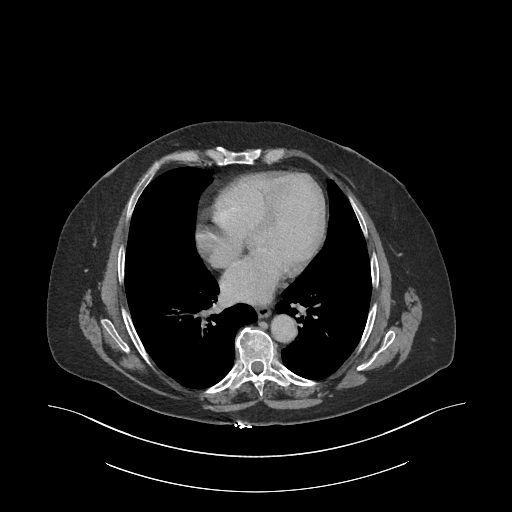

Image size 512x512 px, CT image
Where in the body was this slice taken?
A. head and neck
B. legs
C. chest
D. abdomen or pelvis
Answer: C. chest
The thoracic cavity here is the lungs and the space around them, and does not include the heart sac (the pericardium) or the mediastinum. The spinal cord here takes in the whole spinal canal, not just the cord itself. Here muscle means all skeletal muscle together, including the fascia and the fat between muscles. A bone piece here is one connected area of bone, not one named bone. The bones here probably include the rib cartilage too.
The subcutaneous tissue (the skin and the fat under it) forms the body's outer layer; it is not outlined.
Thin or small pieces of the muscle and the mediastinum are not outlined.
{"spinal_cord":[[[253,362],[261,362],[262,363],[262,365],[263,366],[263,367],[262,368],[262,370],[260,372],[259,372],[258,373],[256,373],[255,372],[254,372],[253,371],[253,370],[252,369],[252,363]]],"thoracic_cavity":[[[182,167],[205,169],[212,174],[198,198],[195,240],[199,255],[218,283],[219,301],[224,308],[248,304],[256,313],[255,321],[243,325],[235,334],[235,358],[229,370],[203,389],[183,386],[150,357],[128,310],[124,286],[126,242],[136,204],[155,177]],[[329,180],[336,182],[346,195],[365,239],[369,254],[372,287],[370,306],[355,348],[333,373],[316,380],[294,372],[282,362],[278,350],[290,344],[297,337],[298,324],[287,313],[277,312],[275,306],[282,292],[306,269],[324,244],[330,215],[327,188]]],"torso":[[[207,120],[288,123],[360,153],[405,186],[434,232],[449,278],[456,337],[454,354],[447,367],[399,393],[343,415],[262,426],[212,424],[162,414],[72,374],[56,363],[47,340],[47,293],[58,239],[71,210],[101,176],[138,148],[173,129]]],"bones":[{"outer":[[246,325],[257,327],[270,336],[277,346],[281,362],[288,369],[318,383],[313,386],[293,383],[282,386],[274,381],[265,380],[260,396],[254,384],[246,381],[235,389],[226,388],[204,394],[204,389],[222,379],[232,367],[237,355],[235,337],[237,332]],"hole":[[253,362],[261,362],[262,363],[262,365],[263,366],[263,367],[262,368],[262,370],[260,372],[259,372],[258,373],[256,373],[255,372],[254,372],[253,371],[253,370],[252,369],[252,363]]},[[217,145],[222,146],[231,151],[242,151],[248,149],[261,148],[265,152],[274,148],[283,148],[286,154],[285,157],[271,163],[266,163],[261,157],[253,164],[231,163],[226,165],[217,165],[213,162],[209,163],[208,158],[204,154],[206,149],[213,148]],[[185,150],[192,150],[196,152],[201,159],[200,162],[201,163],[186,163],[177,160],[172,160],[163,164],[140,194],[135,204],[130,219],[128,221],[126,220],[126,204],[136,184],[151,164],[155,160],[166,154],[169,154],[174,152],[180,152]],[[122,306],[124,306],[125,307],[130,315],[134,328],[152,362],[152,364],[153,365],[152,367],[149,366],[140,355],[135,346],[133,344],[128,334],[128,332],[126,329],[126,327],[123,321],[123,318],[121,314],[121,310],[120,309]],[[374,301],[376,301],[377,302],[377,308],[376,309],[376,315],[375,316],[373,327],[364,346],[362,348],[360,352],[358,353],[356,351],[356,347],[360,340],[361,335],[365,327],[365,324],[367,320],[367,316],[368,315],[370,307],[372,303]],[[390,329],[391,330],[393,330],[395,332],[395,337],[393,341],[376,357],[376,358],[373,361],[373,362],[367,368],[363,370],[357,370],[356,368],[357,366],[361,363],[367,361],[371,357],[372,354],[378,349],[378,348],[381,345],[382,340],[386,332]],[[104,318],[107,318],[111,321],[111,322],[115,327],[116,330],[118,332],[119,335],[122,338],[122,339],[129,346],[129,352],[128,353],[126,353],[122,350],[121,350],[121,349],[117,345],[115,341],[103,327],[101,323],[101,320]],[[373,250],[374,250],[376,252],[376,255],[377,256],[377,258],[378,259],[378,265],[379,266],[379,284],[378,285],[378,286],[377,287],[373,287],[372,286],[372,283],[371,282],[371,269],[370,268],[370,254],[371,253],[371,252]],[[348,194],[352,195],[355,202],[357,204],[357,205],[359,207],[363,214],[363,216],[365,219],[366,225],[367,226],[367,236],[366,238],[365,238],[363,234],[363,232],[359,225],[359,223],[356,217],[356,215],[353,210],[353,208],[347,196]],[[120,244],[124,244],[124,245],[125,246],[125,262],[124,263],[124,276],[123,277],[123,283],[122,284],[121,284],[119,282],[119,281],[118,280],[118,274],[117,273],[117,253],[118,252],[118,248],[119,247],[119,246],[120,245]]],"muscle":[{"outer":[[259,147],[285,147],[301,149],[350,178],[379,233],[393,298],[412,287],[420,299],[422,316],[405,360],[362,385],[305,408],[276,409],[260,401],[235,411],[209,412],[136,383],[104,361],[79,326],[83,296],[103,277],[121,209],[134,184],[152,160],[155,158],[165,154],[155,159],[154,160],[150,164],[150,165],[135,184],[125,204],[126,241],[116,253],[117,280],[123,284],[127,305],[119,309],[122,321],[149,367],[154,365],[152,360],[183,387],[203,390],[204,395],[235,390],[246,382],[253,384],[260,397],[265,381],[282,387],[313,387],[333,374],[355,349],[361,352],[377,315],[378,302],[371,304],[371,295],[372,288],[380,284],[379,259],[374,249],[368,251],[367,222],[353,195],[346,194],[311,161],[286,157],[287,153],[283,147],[274,147],[265,151]],"holes":[[[390,329],[391,330],[393,330],[395,332],[395,337],[393,341],[376,357],[376,358],[373,361],[373,362],[367,368],[363,370],[357,370],[356,368],[357,366],[361,363],[367,361],[371,357],[372,354],[378,349],[378,348],[381,345],[382,340],[386,332]],[[104,318],[107,318],[111,321],[111,322],[115,327],[116,330],[118,332],[119,335],[122,338],[122,339],[129,346],[129,352],[128,353],[126,353],[122,350],[121,350],[121,349],[117,345],[115,341],[103,327],[101,323],[101,320]]]},[[214,145],[216,145],[215,145],[213,147],[208,147],[206,148],[203,152],[203,154],[205,156],[205,157],[207,158],[208,160],[208,163],[202,163],[201,162],[202,161],[202,159],[200,155],[196,151],[192,149],[185,149],[184,150],[181,150],[180,151],[174,151],[173,152],[170,152],[169,153],[166,153],[168,153],[169,152],[172,152],[178,149],[191,149],[192,148],[203,148],[204,147],[207,147],[208,146],[213,146]]],"mediastinum":[[[204,261],[219,276],[220,282],[227,285],[242,300],[265,304],[283,290],[275,303],[274,310],[293,318],[297,324],[296,337],[290,343],[278,349],[277,344],[265,330],[248,324],[257,319],[257,313],[251,305],[238,302],[224,307],[219,299],[219,283]],[[289,157],[303,158],[331,177],[334,180],[327,181],[327,193],[320,176],[307,167],[251,167],[232,171],[217,178],[203,194],[198,211],[199,198],[213,178],[210,170],[182,166],[155,176],[164,165],[173,161],[226,166],[253,165],[258,160],[271,164]]],"pericardium":[[[281,166],[301,166],[315,172],[319,176],[327,194],[328,220],[326,235],[319,251],[293,281],[267,302],[254,302],[242,299],[236,295],[227,284],[222,283],[220,276],[208,266],[200,254],[196,240],[198,212],[204,194],[217,179],[239,170],[277,168]]]}